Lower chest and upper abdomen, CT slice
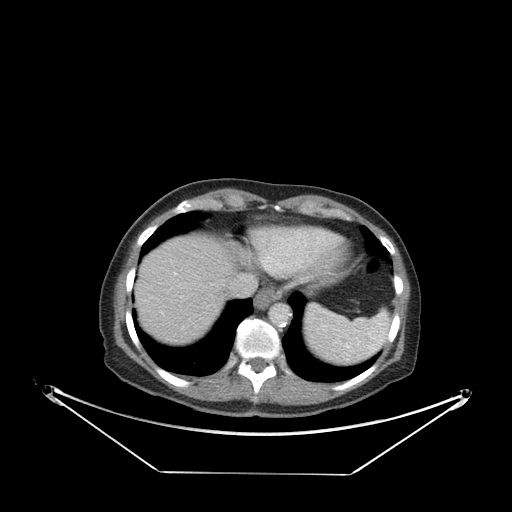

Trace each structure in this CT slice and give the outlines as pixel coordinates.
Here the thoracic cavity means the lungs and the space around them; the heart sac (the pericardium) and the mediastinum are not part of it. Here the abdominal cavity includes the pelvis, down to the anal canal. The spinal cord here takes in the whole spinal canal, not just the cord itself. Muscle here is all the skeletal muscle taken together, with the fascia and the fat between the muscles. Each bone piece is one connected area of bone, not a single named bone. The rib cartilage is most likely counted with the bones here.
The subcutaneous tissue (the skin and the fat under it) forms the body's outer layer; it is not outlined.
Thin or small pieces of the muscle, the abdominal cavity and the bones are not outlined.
The mediastinum is outlined by (245, 208) (291, 210) (361, 224) (363, 253) (347, 227) (321, 217) (248, 217) (246, 233) (264, 273) (305, 293) (295, 291) (288, 297) (293, 318) (281, 338) (269, 322) (250, 315) (250, 297) (228, 301) (232, 258) (226, 245) (214, 230) (194, 229) (206, 216) (196, 210). The pericardium is outlined by (252, 215) (321, 218) (319, 219) (320, 220) (326, 220) (339, 224) (347, 228) (359, 241) (362, 249) (361, 258) (349, 270) (349, 272) (341, 281) (325, 291) (317, 293) (306, 293) (298, 288) (289, 288) (284, 284) (275, 282) (265, 273) (256, 250) (247, 233) (249, 217). The spinal cord is outlined by (256, 357) (260, 357) (261, 358) (262, 358) (263, 359) (264, 359) (266, 361) (266, 365) (260, 371) (258, 371) (257, 372) (256, 371) (255, 371) (253, 369) (252, 369) (252, 367) (251, 366) (251, 365) (248, 362) (248, 361) (250, 359) (251, 359) (252, 358) (255, 358). The muscle appears in 2 outlined pieces: piece 1: (226, 187) (244, 190) (270, 201) (302, 194) (328, 197) (354, 209) (385, 231) (399, 250) (410, 286) (401, 358) (364, 384) (340, 396) (315, 404) (281, 405) (247, 400) (207, 401) (189, 397) (169, 388) (129, 357) (114, 340) (113, 294) (127, 251) (140, 231) (136, 239) (136, 245) (140, 247) (137, 263) (125, 276) (125, 290) (131, 296) (131, 309) (126, 309) (124, 313) (125, 325) (134, 346) (139, 350) (142, 346) (156, 364) (154, 370) (157, 374) (176, 387) (186, 388) (192, 383) (176, 375) (205, 376) (221, 368) (226, 371) (237, 364) (236, 372) (250, 381) (253, 393) (251, 400) (256, 403) (263, 383) (277, 375) (276, 363) (290, 376) (297, 375) (314, 382) (342, 382) (330, 387) (333, 391) (342, 391) (370, 375) (377, 368) (375, 362) (386, 344) (392, 343) (397, 336) (401, 318) (395, 312) (394, 299) (403, 292) (404, 283) (394, 273) (391, 256) (396, 250) (385, 235) (376, 236) (366, 225) (352, 220) (347, 212) (338, 207) (325, 207) (308, 199) (298, 205) (297, 211) (284, 210) (278, 204) (272, 208) (264, 205) (253, 209) (221, 209) (224, 205) (221, 199) (189, 198); inner edge: (230, 195) (239, 195) (240, 196) (241, 196) (243, 198) (243, 199) (244, 200) (244, 204) (243, 205) (242, 205) (241, 206) (237, 206) (236, 207) (233, 207) (232, 206) (229, 206) (228, 205) (227, 205) (225, 203) (225, 197) (226, 197) (227, 196) (229, 196); piece 2: (170, 208) (172, 208) (171, 209) (171, 212) (173, 215) (171, 217) (168, 218) (160, 225) (156, 223) (155, 224) (152, 224) (151, 225) (149, 225) (145, 228) (144, 228) (144, 227) (153, 218) (154, 218) (159, 214) (164, 212) (166, 210). The bones appear in 12 outlined pieces: piece 1: (248, 316) (259, 318) (269, 323) (277, 331) (286, 362) (295, 374) (287, 374) (276, 362) (276, 375) (266, 379) (262, 383) (259, 391) (256, 394) (256, 402) (252, 400) (254, 395) (253, 385) (247, 377) (237, 372) (237, 363) (226, 370) (222, 369) (233, 349) (237, 326); inner edge: (256, 357) (260, 357) (261, 358) (262, 358) (263, 359) (264, 359) (266, 361) (266, 365) (260, 371) (258, 371) (257, 372) (256, 371) (255, 371) (253, 369) (252, 369) (252, 367) (251, 366) (251, 365) (248, 362) (248, 361) (250, 359) (251, 359) (252, 358) (255, 358); piece 2: (206, 198) (214, 198) (218, 200) (221, 200) (223, 202) (223, 205) (220, 209) (217, 210) (214, 210) (213, 209) (196, 209) (195, 210) (190, 210) (186, 212) (178, 213) (175, 215) (174, 215) (172, 212) (172, 209) (183, 200) (186, 199) (189, 200) (205, 199); piece 3: (306, 200) (312, 201) (316, 204) (319, 204) (325, 208) (338, 208) (347, 213) (351, 217) (351, 220) (346, 220) (345, 219) (342, 219) (337, 217) (324, 217) (318, 212) (315, 212) (312, 215) (308, 215) (307, 214) (299, 212) (298, 211) (298, 207) (299, 205) (302, 202); piece 4: (374, 363) (376, 363) (377, 364) (376, 368) (370, 374) (366, 376) (363, 379) (362, 379) (357, 383) (342, 390) (333, 390) (331, 388) (331, 387) (335, 385) (338, 385) (339, 384) (341, 384) (344, 381) (346, 381) (360, 374) (362, 372) (363, 372) (365, 370) (369, 368); piece 5: (156, 365) (157, 365) (162, 369) (180, 378) (182, 378) (183, 379) (185, 379) (186, 380) (188, 380) (190, 381) (191, 383) (188, 386) (186, 387) (181, 387) (180, 386) (176, 386) (168, 382) (162, 377) (161, 377) (155, 370) (155, 366); piece 6: (126, 310) (131, 310) (131, 315) (132, 316) (132, 319) (133, 320) (134, 328) (135, 329) (136, 334) (138, 337) (138, 339) (141, 344) (141, 347) (139, 349) (135, 346) (129, 335) (129, 333) (127, 329) (127, 326) (126, 325) (126, 320) (125, 319) (125, 313) (126, 312); piece 7: (395, 313) (397, 313) (399, 315) (399, 317) (400, 318) (400, 323) (399, 324) (399, 328) (398, 329) (397, 334) (394, 338) (393, 341) (392, 342) (389, 342) (388, 341) (388, 334) (390, 331) (390, 327) (391, 326) (391, 324) (392, 323) (392, 320) (393, 319) (393, 317); piece 8: (156, 224) (157, 225) (158, 225) (158, 226) (157, 227) (157, 228) (153, 232) (153, 233) (142, 244) (142, 245) (141, 246) (138, 246) (137, 245) (137, 239) (140, 235) (140, 234) (142, 232) (142, 231) (147, 227) (148, 227) (149, 226) (151, 226) (152, 225) (155, 225); piece 9: (230, 195) (239, 195) (240, 196) (241, 196) (243, 198) (243, 199) (244, 200) (244, 204) (243, 205) (242, 205) (241, 206) (237, 206) (236, 207) (233, 207) (232, 206) (229, 206) (228, 205) (227, 205) (225, 203) (225, 197) (226, 197) (227, 196) (229, 196); piece 10: (132, 267) (134, 267) (135, 268) (135, 276) (134, 277) (134, 279) (133, 280) (133, 285) (132, 286) (132, 288) (131, 289) (131, 293) (128, 293) (127, 292) (127, 291) (126, 290) (126, 276) (127, 275) (127, 273) (128, 272) (128, 271); piece 11: (379, 235) (382, 235) (383, 236) (385, 236) (391, 242) (391, 243) (393, 245) (393, 246) (394, 247) (394, 249) (395, 250) (395, 253) (393, 255) (391, 255) (389, 253) (389, 252) (387, 250) (387, 249) (381, 243) (381, 242) (379, 240) (379, 239) (377, 237); piece 12: (394, 274) (397, 274) (401, 278) (401, 279) (402, 280) (402, 282) (403, 283) (403, 289) (402, 290) (402, 292) (399, 295) (396, 295) (396, 294) (395, 293) (395, 290) (394, 289) (394, 284) (393, 283) (393, 276) (394, 275). The torso is outlined by (226, 177) (315, 185) (343, 192) (368, 203) (392, 224) (410, 255) (421, 292) (421, 331) (417, 360) (411, 375) (353, 404) (313, 415) (234, 417) (198, 411) (154, 396) (120, 380) (105, 366) (98, 325) (98, 301) (102, 280) (122, 236) (153, 202) (169, 191) (197, 180). The thoracic cavity appears in 4 outlined pieces: piece 1: (247, 298) (250, 298) (252, 301) (252, 312) (243, 318) (236, 326) (233, 346) (225, 363) (216, 371) (205, 375) (174, 374) (159, 366) (142, 345) (132, 315) (132, 310) (134, 310) (137, 324) (141, 330) (158, 344) (171, 348) (185, 348) (196, 344) (210, 333) (229, 301); piece 2: (295, 292) (300, 293) (306, 300) (301, 315) (299, 332) (305, 350) (314, 359) (334, 367) (356, 366) (369, 360) (377, 354) (379, 355) (375, 361) (360, 373) (343, 381) (314, 381) (305, 379) (296, 374) (287, 362) (281, 340) (294, 318) (293, 309) (288, 302) (288, 299); piece 3: (190, 211) (196, 211) (203, 214) (205, 216) (199, 219) (197, 221) (197, 223) (194, 227) (192, 227) (186, 231) (176, 233) (173, 235) (170, 235) (152, 247) (141, 257) (139, 257) (141, 247) (154, 233) (159, 226) (163, 224) (164, 222) (173, 216) (182, 213) (186, 213); piece 4: (362, 225) (366, 226) (373, 233) (373, 234) (378, 239) (380, 243) (386, 249) (386, 250) (388, 252) (390, 256) (391, 262) (389, 262) (380, 255) (378, 255) (374, 253) (370, 253) (366, 250) (366, 242) (365, 241) (365, 237) (362, 233) (361, 229) (360, 228) (360, 227). The abdominal cavity appears in 2 outlined pieces: piece 1: (192, 228) (194, 230) (214, 231) (220, 236) (225, 245) (228, 256) (231, 258) (231, 277) (227, 288) (227, 303) (217, 321) (205, 337) (189, 346) (171, 347) (158, 343) (142, 330) (138, 324) (136, 312) (132, 309) (131, 294) (136, 276) (138, 259) (170, 236) (186, 232); piece 2: (366, 252) (380, 256) (389, 263) (392, 263) (392, 283) (395, 294) (393, 299) (394, 313) (387, 334) (387, 342) (380, 353) (377, 353) (356, 365) (334, 366) (321, 362) (314, 358) (306, 350) (300, 332) (302, 315) (307, 301) (306, 294) (317, 294) (333, 288) (342, 281).